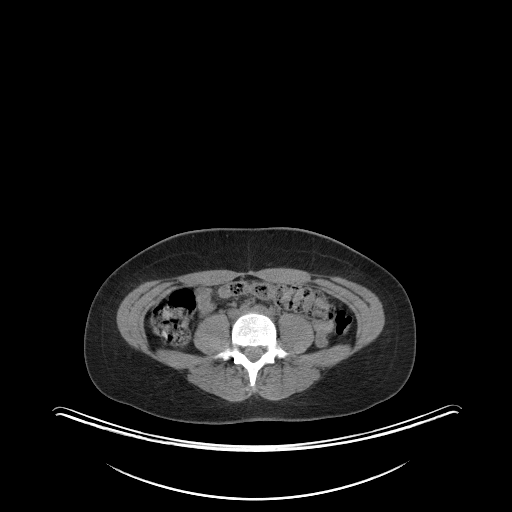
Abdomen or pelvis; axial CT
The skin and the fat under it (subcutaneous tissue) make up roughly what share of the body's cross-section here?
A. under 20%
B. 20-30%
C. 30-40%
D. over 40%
D. over 40%
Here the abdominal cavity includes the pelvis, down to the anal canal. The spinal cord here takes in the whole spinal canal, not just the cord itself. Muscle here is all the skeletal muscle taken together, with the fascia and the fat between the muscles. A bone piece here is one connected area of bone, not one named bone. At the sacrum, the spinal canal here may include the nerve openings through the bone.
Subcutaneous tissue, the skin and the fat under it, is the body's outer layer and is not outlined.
The abdominal cavity is outlined by [[245,276],[275,284],[315,287],[338,299],[355,316],[353,344],[307,352],[314,332],[301,314],[282,313],[277,327],[268,315],[248,311],[239,315],[231,327],[229,318],[220,311],[201,321],[193,334],[193,344],[203,354],[152,349],[144,319],[168,294]]. The torso is outlined by [[274,226],[301,228],[334,238],[383,266],[404,287],[415,317],[416,355],[408,380],[395,395],[363,411],[339,417],[308,421],[205,424],[175,421],[146,413],[105,396],[95,387],[84,362],[84,328],[98,288],[114,269],[139,251],[177,233],[216,227]]. The bones are outlined by [[248,312],[257,312],[268,316],[275,324],[277,343],[290,353],[285,357],[276,358],[271,364],[264,365],[257,373],[254,387],[250,386],[248,373],[240,364],[235,364],[231,358],[228,360],[213,358],[214,355],[231,345],[231,328],[233,323],[239,316]] with a hole at [[248,346],[252,346],[253,347],[256,347],[257,346],[259,346],[260,347],[263,348],[263,349],[264,350],[263,351],[262,354],[258,359],[257,359],[254,361],[251,361],[245,355],[245,354],[243,352],[243,350],[244,349],[244,348],[245,348]]. The spinal cord is outlined by [[248,346],[252,346],[253,347],[256,347],[257,346],[259,346],[260,347],[263,348],[263,349],[264,350],[263,351],[262,354],[258,359],[257,359],[254,361],[251,361],[245,355],[245,354],[243,352],[243,350],[244,349],[244,348],[245,348]]. The muscle is outlined by [[272,267],[295,268],[353,281],[372,291],[380,300],[384,311],[385,323],[375,340],[330,368],[299,396],[276,401],[254,395],[239,402],[215,399],[194,388],[173,368],[131,347],[118,330],[116,313],[121,301],[143,282],[203,270],[228,269],[241,272]], around a hole outlined by [[245,276],[315,287],[338,299],[355,316],[353,344],[307,352],[314,341],[310,322],[284,312],[276,340],[290,354],[264,365],[254,387],[240,364],[213,358],[231,345],[231,323],[222,311],[206,317],[193,334],[203,354],[152,349],[144,319],[168,294]].